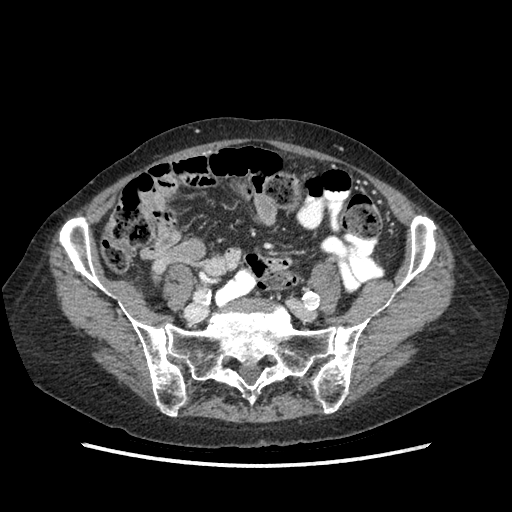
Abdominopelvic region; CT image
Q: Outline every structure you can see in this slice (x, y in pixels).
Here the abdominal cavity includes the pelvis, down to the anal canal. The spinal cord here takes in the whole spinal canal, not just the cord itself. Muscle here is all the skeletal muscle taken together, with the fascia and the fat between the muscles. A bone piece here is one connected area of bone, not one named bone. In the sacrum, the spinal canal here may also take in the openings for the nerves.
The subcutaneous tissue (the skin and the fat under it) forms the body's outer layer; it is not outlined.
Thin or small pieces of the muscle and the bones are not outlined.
A: Outlined structures:
bones: 415,214 436,225 434,256 371,317 349,392 326,414 310,383 325,358 251,405 172,355 187,400 162,413 130,321 58,240 84,216 99,281 145,324 201,330 223,304 256,298 316,330 359,324 387,301 409,267; inner edge: 266,355 271,355 274,358 274,362 272,364 262,368 258,376 253,383 248,383 232,366 229,364 227,364 224,361 224,359 226,357 229,357 232,359 234,359 237,364 240,363 244,366 249,366 260,362
spinal cord: 266,355 271,355 274,358 274,362 272,364 262,368 258,376 253,383 248,383 232,366 229,364 227,364 224,361 224,359 226,357 229,357 232,359 234,359 237,364 240,363 244,366 249,366 260,362
abdominal cavity: 248,142 344,165 368,180 406,227 404,258 393,279 364,284 340,315 338,270 327,261 315,265 310,279 324,327 298,329 282,304 245,297 220,305 203,328 185,329 100,266 93,226 130,179 160,162 with a hole at 178,264 182,264 187,266 192,270 193,272 193,276 192,277 193,287 192,288 192,292 189,298 179,309 178,312 176,313 172,311 167,305 166,301 163,297 163,288 166,281 166,276 168,271 172,266
torso: 219,116 289,118 335,129 367,145 455,217 508,289 499,335 479,379 398,418 350,436 283,446 218,448 187,447 135,437 123,429 92,419 34,384 12,335 2,290 33,235 50,213 96,174 147,139 181,124
muscle 1: 434,220 439,224 447,237 454,257 453,295 447,308 430,333 419,345 411,359 404,366 400,367 376,388 360,395 339,409 350,392 354,359 363,331 372,317 388,307 395,296 424,271 433,260 438,249 437,225
muscle 2: 246,137 279,139 341,159 399,190 432,217 420,213 415,213 412,216 409,229 410,254 406,273 386,301 361,322 353,325 326,326 325,316 320,309 321,297 314,289 311,279 313,269 322,262 335,266 339,275 341,294 335,308 335,315 340,316 349,309 364,285 381,279 390,281 394,279 405,258 408,243 407,227 394,215 380,191 368,179 344,164 300,155 266,142 248,141 225,145 193,156 177,160 160,161 150,165 123,185 116,193 111,206 101,219 92,226 91,231 87,218 84,215 72,216 64,221 68,215 88,203 96,194 119,178 173,152 217,140
muscle 3: 63,222 59,229 57,240 63,253 77,273 106,296 116,300 119,310 129,321 141,347 154,402 159,410 148,405 122,381 103,369 93,359 81,337 63,314 55,292 55,281 49,268 49,256 46,253 51,237
muscle 4: 168,356 185,362 193,380 213,380 235,388 251,406 264,387 281,382 287,377 302,378 316,360 325,359 309,378 314,398 324,414 263,423 227,422 201,416 178,418 179,409 188,400 187,385 185,376 167,359
muscle 5: 92,240 97,261 105,277 113,282 114,280 124,280 128,282 143,295 143,299 153,308 155,312 172,316 174,318 174,323 166,321 161,325 157,326 152,325 145,323 130,314 116,295 100,281 92,261 91,251
muscle 6: 178,264 182,264 187,266 192,270 193,272 193,276 192,277 193,287 192,288 192,292 189,298 179,309 178,312 176,313 172,311 167,305 166,301 163,297 163,288 166,281 166,276 168,271 172,266